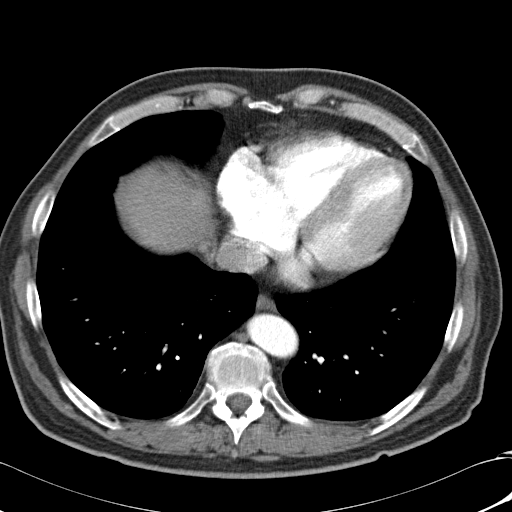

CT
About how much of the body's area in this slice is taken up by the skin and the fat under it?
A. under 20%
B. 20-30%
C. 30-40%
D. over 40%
Answer: A. under 20%
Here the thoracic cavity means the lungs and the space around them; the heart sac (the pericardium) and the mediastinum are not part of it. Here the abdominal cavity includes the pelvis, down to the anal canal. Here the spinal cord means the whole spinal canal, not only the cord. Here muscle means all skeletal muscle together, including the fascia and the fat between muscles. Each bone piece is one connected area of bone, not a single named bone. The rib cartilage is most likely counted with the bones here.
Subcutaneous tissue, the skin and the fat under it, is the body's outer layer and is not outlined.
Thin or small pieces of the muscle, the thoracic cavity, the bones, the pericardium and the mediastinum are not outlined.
Outlines (x, y in pixels):
thoracic cavity 1: 184,109 220,114 213,151 203,167 157,153 122,173 112,191 117,223 149,254 189,254 213,270 246,274 257,293 253,313 207,353 195,398 170,416 139,419 102,408 59,364 36,283 40,237 88,149 141,118
thoracic cavity 2: 408,156 427,166 435,179 455,259 453,305 441,347 417,386 376,417 355,424 310,417 290,404 277,387 276,381 282,381 298,351 299,340 292,324 278,310 275,295 331,286 371,266 389,250 412,199 414,178
pericardium: 290,115 310,115 383,139 401,152 411,172 413,183 411,199 403,222 388,250 381,257 371,265 330,285 303,292 282,290 262,280 252,256 228,235 212,189 223,158 244,131 254,126
muscle: 204,82 240,86 258,99 303,84 339,88 396,115 425,141 462,207 478,254 480,327 471,372 448,403 359,447 257,461 124,446 63,414 36,386 20,357 9,289 22,223 35,194 103,120 57,193 47,190 35,207 30,227 31,235 39,238 35,280 25,283 31,324 36,331 42,326 65,374 56,375 59,386 98,424 123,428 109,412 139,420 168,417 163,424 178,427 210,404 210,412 229,427 237,445 244,430 265,414 264,401 280,418 305,428 313,426 311,418 344,425 374,419 378,423 364,435 369,437 398,422 420,402 428,387 418,385 442,346 448,353 452,350 464,317 462,302 454,303 456,262 466,262 468,240 458,210 452,209 447,219 419,136 365,103 341,101 332,112 308,107 329,97 321,87 297,92 293,106 285,108 280,102 248,97 242,100 245,105 234,103 234,92 210,87 191,100 163,94 110,114 149,95
abdominal cavity: 157,154 171,154 181,158 187,164 205,168 207,180 211,184 216,207 222,220 213,245 205,255 201,256 201,260 189,253 174,256 158,256 149,253 133,243 124,234 118,223 113,200 113,191 118,178
mediastinum 1: 222,221 227,235 251,256 261,280 294,293 274,295 277,310 291,324 298,340 297,351 283,370 280,382 274,379 267,356 256,346 233,340 214,346 254,313 258,293 256,282 248,274 213,269 202,261 214,245
mediastinum 2: 236,103 252,110 273,114 289,107 317,109 367,123 384,132 409,154 406,157 406,161 410,169 406,162 402,152 379,136 310,114 290,114 244,130 222,158 212,185 208,180 205,163 219,141 224,121 220,113 206,108 227,107
torso: 196,66 351,72 398,91 434,123 480,209 502,278 501,324 481,400 467,420 423,445 381,455 372,463 274,479 192,477 131,467 52,439 30,421 9,373 0,328 0,233 8,214 57,146 104,98 141,77
spinal cord: 236,393 241,393 242,394 243,394 244,395 247,396 249,398 249,399 250,400 250,403 249,404 249,405 242,412 242,413 235,413 230,408 230,407 227,404 227,401 228,400 228,398 230,396 231,396
bones 1: 231,341 263,352 271,366 277,390 290,405 312,420 312,426 287,421 264,400 264,414 243,430 237,444 233,441 230,427 211,412 210,403 181,425 169,427 164,424 201,391 206,380 205,362 210,350 with a hole at 236,393 241,393 242,394 243,394 244,395 247,396 249,398 249,399 250,400 250,403 249,404 249,405 242,412 242,413 235,413 230,408 230,407 227,404 227,401 228,400 228,398 230,396 231,396
bones 2: 210,88 225,89 234,93 236,97 230,105 210,105 205,108 200,108 191,102 186,104 183,109 141,117 95,145 89,148 87,146 90,138 110,115 143,101 163,95 180,96 185,99 188,98 191,101 200,93
bones 3: 341,102 356,102 357,103 365,104 384,113 390,118 404,125 410,131 415,133 418,136 427,153 427,165 422,163 413,156 410,155 389,135 374,125 357,119 346,117 333,112 333,111 335,111 337,109
bones 4: 58,374 65,375 86,396 96,403 102,409 105,410 107,412 107,416 111,420 113,421 118,420 121,424 122,428 120,429 111,429 98,423 95,420 92,419 89,416 85,414 72,402 63,391 57,379 57,375
bones 5: 421,386 426,386 427,387 427,390 419,402 407,414 387,428 373,435 370,435 369,436 366,436 365,435 369,429 372,428 379,423 379,422 375,419 378,416 387,412 390,409 394,407 398,403 403,400 416,388
bones 6: 454,209 457,210 461,218 461,220 463,223 463,227 466,234 467,253 464,263 461,263 459,261 456,261 455,255 454,254 454,250 453,249 453,244 450,234 450,230 449,229 449,225 448,224 449,214 450,212
bones 7: 49,190 53,190 56,193 53,202 53,205 51,208 51,211 49,214 49,216 47,219 47,221 41,235 39,237 37,236 33,236 32,235 32,229 31,227 32,226 32,221 33,220 34,212 41,198 44,194
bones 8: 458,301 460,301 461,302 461,304 463,307 463,317 462,318 461,326 460,327 458,335 456,338 456,340 451,350 448,352 446,348 442,345 444,340 444,335 453,309 453,306 454,304
bones 9: 29,279 33,279 35,281 36,287 37,288 37,292 38,293 38,297 39,298 40,308 41,309 41,321 42,322 42,325 36,330 34,328 30,318 30,315 29,314 29,311 27,306 27,300 26,299 26,283
bones 10: 312,88 321,88 322,89 326,90 328,93 328,97 326,99 319,103 316,103 315,104 309,104 306,108 300,108 299,107 295,107 293,104 293,102 295,99 296,94 303,90 305,90 306,89 311,89
bones 11: 244,98 248,98 250,100 268,100 276,104 277,103 280,103 283,105 284,107 284,109 282,111 278,113 273,113 272,112 265,111 261,109 252,109 251,108 249,108 245,104 243,100